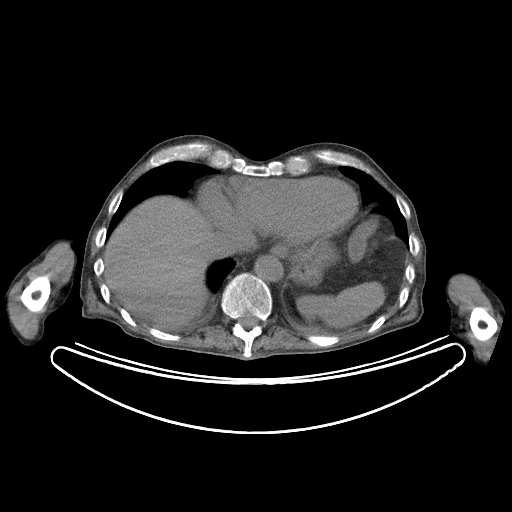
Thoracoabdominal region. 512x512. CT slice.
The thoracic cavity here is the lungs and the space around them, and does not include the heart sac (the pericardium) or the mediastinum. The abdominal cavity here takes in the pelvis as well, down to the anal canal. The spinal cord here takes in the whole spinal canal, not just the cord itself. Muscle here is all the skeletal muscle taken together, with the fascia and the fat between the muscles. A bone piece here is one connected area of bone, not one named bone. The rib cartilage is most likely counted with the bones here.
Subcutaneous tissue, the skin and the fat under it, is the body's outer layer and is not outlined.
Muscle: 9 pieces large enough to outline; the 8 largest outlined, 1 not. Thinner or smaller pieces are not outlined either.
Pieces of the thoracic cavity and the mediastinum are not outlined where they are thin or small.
Outlined structures:
spinal cord: 246,314 249,314 254,317 256,317 258,319 258,320 259,321 259,322 257,324 256,324 250,329 246,329 245,328 244,328 241,325 241,324 239,322 239,321 238,320 238,319 239,319 241,317 244,316
torso: 184,134 212,136 258,160 320,141 347,144 367,153 408,195 417,213 427,249 421,319 413,325 343,349 272,355 244,361 158,346 126,334 112,322 82,317 79,288 84,247 90,226 106,196 148,149 165,139
pericardium: 322,169 339,171 347,179 358,184 361,212 341,231 333,235 318,237 296,247 290,246 283,241 274,241 251,253 227,254 228,252 222,235 214,227 208,214 196,199 196,193 200,185 214,176 289,177 302,176
thoracic cavity 1: 174,161 193,161 202,163 216,169 217,172 204,174 194,179 191,182 186,193 183,195 175,193 156,193 142,199 125,212 119,221 117,222 107,238 107,229 111,219 117,211 123,198 124,193 130,186 147,171
thoracic cavity 2: 341,166 352,167 370,175 394,198 398,209 405,220 408,234 408,245 396,234 394,224 392,221 383,213 380,213 374,210 380,204 376,200 366,204 364,203 361,192 361,186 359,182 344,174 341,171 340,168
thoracic cavity 3: 225,258 231,259 234,262 234,266 225,276 218,291 221,293 219,301 219,307 221,312 219,315 210,324 201,329 193,330 181,335 177,333 168,332 191,327 200,322 215,296 208,285 207,281 208,269 217,260
thoracic cavity 4: 279,306 280,308 280,311 283,317 289,324 291,324 294,326 296,326 297,327 308,330 311,332 319,332 323,334 307,333 306,332 299,331 295,329 293,327 289,325 275,312 273,312 273,309 276,310 279,307
mediastinum 1: 202,209 221,235 227,255 251,254 274,242 283,242 296,248 290,255 289,270 280,288 276,309 268,285 261,278 247,271 236,274 221,292 219,291 226,276 235,266 235,262 229,257 220,259 226,255 226,252
mediastinum 2: 217,169 230,169 235,172 245,175 240,175 239,174 233,174 232,175 214,175 204,180 199,185 195,193 195,197 191,197 189,194 187,193 191,186 192,182 194,180 204,175 207,175 208,174 215,174 218,172
mediastinum 3: 360,186 360,192 361,193 361,196 362,197 362,201 363,202 363,203 366,205 367,204 369,204 374,201 376,201 379,204 377,206 376,206 372,209 366,209 362,212 362,201 361,200 361,198 360,197
left arm: 456,271 466,271 474,274 480,278 498,296 504,306 504,314 501,327 499,330 495,345 485,366 478,365 474,361 472,353 468,346 453,335 449,329 450,309 446,301 445,284 448,279 448,277 453,272
abdominal cavity 1: 156,194 175,194 180,196 188,194 191,198 195,198 225,252 225,255 214,261 207,269 207,285 214,296 199,322 169,331 149,327 136,321 126,309 112,298 102,276 104,271 102,250 106,239 128,210 142,200
abdominal cavity 2: 373,209 391,221 395,234 408,246 409,257 403,275 405,281 399,291 397,301 370,324 336,334 311,331 289,323 281,311 279,302 281,288 290,270 292,253 299,246 308,244 318,238 333,236 341,232 361,213
muscle 1: 107,208 107,215 111,217 108,226 107,228 105,226 101,226 94,237 96,247 99,249 102,248 101,257 97,257 92,264 94,274 98,278 101,276 103,278 103,282 99,285 99,293 102,299 109,304 111,302 111,297 118,304 118,311 121,317 128,324 133,327 137,326 136,322 143,324 148,327 147,330 152,336 165,341 178,341 182,335 201,330 210,325 222,312 233,322 231,326 231,333 235,337 241,339 244,343 242,356 235,351 222,350 215,347 191,347 161,342 129,329 115,317 87,312 87,284 88,278 92,274 89,264 91,240 95,229 101,224
muscle 2: 60,241 67,241 73,253 73,264 69,279 55,298 52,306 47,310 42,320 38,324 38,330 34,338 27,339 23,337 16,330 9,317 7,309 8,294 12,287 25,273 31,267 41,262 47,252 56,243 with a hole at 45,274 48,276 48,278 50,282 50,292 49,293 49,296 46,302 44,304 42,309 40,311 38,312 33,312 32,311 30,311 20,300 20,295 23,289 32,279 35,278 37,276 40,276 41,275 44,275
muscle 3: 459,274 467,275 473,278 478,283 482,291 503,317 495,345 487,362 481,360 477,356 474,347 470,341 463,335 460,326 461,324 460,323 460,317 456,308 453,305 448,293 447,288 451,279 454,276 with a hole at 475,306 479,306 481,308 487,311 489,313 489,314 491,315 496,321 496,330 495,332 490,338 484,341 478,340 474,336 471,330 471,328 470,327 470,324 469,323 469,317 470,316 470,313 473,307
muscle 4: 411,212 415,231 417,233 421,243 420,267 416,277 416,284 417,285 416,292 417,313 416,315 412,319 390,325 359,339 356,339 343,344 331,346 340,340 339,336 340,335 351,332 354,330 359,330 364,327 369,326 366,331 369,334 374,332 386,321 387,316 385,313 388,311 389,308 393,306 396,302 398,302 398,307 402,308 407,302 410,294 410,287 408,285 404,286 404,284 406,280 409,285 411,284 416,276 414,265 411,263 408,263 408,261 410,254 415,257 418,254 420,249 420,242 418,237 413,232 408,233 407,229 406,220 408,220 411,217
muscle 5: 272,313 275,313 295,330 306,333 307,334 305,336 306,339 312,344 320,347 311,349 301,349 300,348 298,349 279,348 268,350 261,349 260,351 252,355 253,342 255,338 259,336 263,331 262,323 264,323
muscle 6: 148,159 148,160 146,162 146,163 144,166 144,170 145,171 145,172 144,172 139,177 138,177 124,192 124,191 122,189 119,189 117,191 117,190 125,182 125,181 129,177 129,176 141,164 142,164
muscle 7: 361,160 364,161 366,163 367,163 372,168 373,168 381,176 381,177 388,184 388,185 391,188 392,188 400,194 398,193 396,194 394,196 394,197 370,174 371,173 371,170 367,166 366,166 366,165
muscle 8: 313,149 318,149 314,151 312,155 315,159 316,159 320,162 320,163 316,163 314,165 312,165 311,161 308,158 307,158 305,156 303,156 302,155 298,154 300,154 302,152 308,151 309,150 312,150
bones 1: 188,143 206,143 211,151 223,149 250,164 284,161 289,156 299,155 308,159 312,166 308,172 297,175 252,176 230,168 212,167 207,164 206,157 201,157 170,161 146,171 145,166 153,154 174,145
bones 2: 243,272 250,273 261,279 269,288 273,301 272,312 266,320 261,323 262,331 254,338 251,345 251,356 247,358 243,355 245,346 244,341 232,333 233,320 225,314 220,307 221,294 224,287 232,278 with a hole at 246,314 249,314 254,317 256,317 258,319 258,320 259,321 259,322 257,324 256,324 250,329 246,329 245,328 244,328 241,325 241,324 239,322 239,321 238,320 238,319 239,319 241,317 244,316
bones 3: 45,274 48,276 48,278 50,282 50,292 49,293 49,296 46,302 44,304 42,309 40,311 38,312 33,312 32,311 30,311 20,300 20,295 23,289 32,279 35,278 37,276 40,276 41,275 44,275
bones 4: 475,306 479,306 481,308 487,311 489,313 489,314 491,315 496,321 496,330 495,332 490,338 484,341 478,340 474,336 471,330 471,328 470,327 470,324 469,323 469,317 470,316 470,313 473,307
bones 5: 319,149 330,149 337,152 341,152 342,153 353,156 359,159 365,165 365,166 370,170 370,173 369,174 360,169 358,169 352,166 339,165 338,164 332,164 331,163 323,163 315,158 313,155 314,152
bones 6: 308,334 315,334 316,335 324,335 325,336 333,336 334,335 335,336 338,336 339,337 339,340 334,344 333,344 328,347 321,347 320,346 319,346 314,343 312,343 310,341 309,341 306,337 306,336
bones 7: 150,327 151,327 152,328 155,328 156,329 158,329 159,330 161,330 164,332 167,332 168,333 170,333 171,334 177,334 180,336 180,338 178,340 165,340 164,339 161,339 160,338 155,337 149,332 148,329
bones 8: 119,190 122,190 123,191 123,195 122,196 122,198 120,201 120,203 119,204 119,205 118,206 116,211 111,216 109,216 108,215 108,207 109,206 109,204 110,203 112,198 115,195 115,194
bones 9: 398,194 400,195 405,200 405,201 407,203 409,207 409,209 410,210 410,217 408,219 405,219 405,218 403,216 403,215 401,213 399,209 399,207 395,199 395,196
bones 10: 410,233 413,233 414,234 415,234 415,235 417,237 417,238 418,239 418,241 419,242 419,249 418,250 418,252 417,253 417,254 415,256 414,256 413,255 412,255 410,253 410,251 409,250 409,234
bones 11: 101,227 105,227 106,228 106,238 105,239 105,241 103,244 103,246 102,247 99,248 98,247 97,247 97,246 96,245 96,242 95,241 95,237 96,236 96,234 97,233 98,230
bones 12: 405,286 408,286 409,287 409,294 408,295 408,297 407,298 407,300 406,301 406,302 403,305 403,306 402,307 399,307 399,302 398,301 398,297 399,296 399,294 400,293 400,291 402,289 402,288
bones 13: 383,314 384,314 386,316 386,319 385,320 385,321 377,329 376,329 374,331 373,331 372,332 371,332 370,333 369,333 367,331 368,330 368,329 369,328 369,327 371,325 371,324 379,316 380,316
bones 14: 99,257 100,257 102,259 102,261 103,262 103,271 102,272 102,273 101,274 101,275 98,277 95,274 95,273 94,272 94,270 93,269 93,264 94,263 94,262 95,261 95,260 97,258 98,258
bones 15: 408,264 411,264 412,265 413,265 413,267 414,268 414,272 415,273 415,276 414,277 414,278 413,279 412,282 409,284 408,283 407,280 405,278 405,276 404,275 405,274 405,269 406,268 406,267
bones 16: 102,283 104,283 107,286 107,287 108,288 108,289 109,290 109,291 110,292 110,302 109,303 107,303 103,299 103,298 102,297 102,296 101,295 101,294 100,293 100,285
bones 17: 120,307 123,308 125,310 126,310 129,313 129,314 131,316 131,317 135,321 135,322 136,323 136,326 133,326 132,325 131,325 129,323 128,323 122,317 122,316 121,315 121,314 119,311 119,309 120,308
right arm: 60,236 68,236 73,238 73,248 77,252 77,263 74,274 73,285 65,302 49,315 45,320 44,333 42,338 34,345 26,346 20,343 12,332 8,319 8,314 6,311 4,295 11,280 16,273 50,242